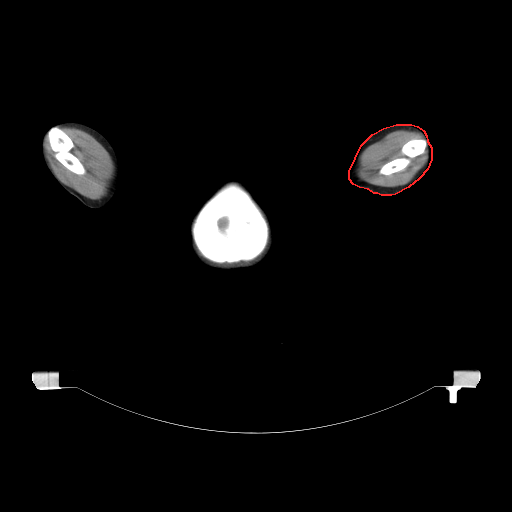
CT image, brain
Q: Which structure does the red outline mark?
A: red: left arm.
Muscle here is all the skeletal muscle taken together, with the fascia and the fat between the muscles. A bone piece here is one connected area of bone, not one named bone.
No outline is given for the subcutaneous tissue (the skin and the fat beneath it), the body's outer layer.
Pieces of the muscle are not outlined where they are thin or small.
Outlines (x, y in pixels):
left arm: 396,124 411,124 417,126 423,130 426,135 427,141 431,147 431,159 427,169 419,178 408,187 395,194 391,195 381,195 377,193 374,193 368,189 359,187 353,184 349,179 349,171 361,145 372,134 383,128
head: 227,178 239,179 247,185 255,198 267,212 274,236 273,247 267,258 261,264 248,269 230,271 229,272 217,271 202,265 194,257 189,246 189,241 190,240 189,226 192,217 202,203 212,193 218,184
bones 1: 229,182 235,182 241,185 249,192 261,208 269,225 269,240 264,251 260,255 252,260 249,261 241,260 238,262 232,262 231,263 227,262 217,263 206,259 198,252 192,239 191,224 194,217 201,206 219,188 with a hole at 223,218 225,218 226,219 226,224 225,225 225,226 223,228 221,228 220,227 220,226 219,225 219,221 221,219 222,219
bones 2: 52,126 58,126 68,135 73,142 74,146 71,149 71,152 78,158 83,165 85,169 85,172 83,174 77,174 71,171 65,167 57,159 56,159 54,156 54,152 52,150 50,146 50,144 46,137 47,131
bones 3: 423,137 427,140 428,143 425,152 412,158 410,160 410,163 405,168 402,170 396,172 393,172 390,174 382,174 379,172 380,168 385,163 393,159 398,158 402,155 401,148 407,141 414,138 422,138
right arm: 64,121 80,122 92,127 102,134 107,139 113,147 117,155 120,166 119,185 113,199 108,204 103,207 100,208 90,208 85,206 78,199 68,193 58,183 50,173 44,162 41,152 42,136 46,131 56,123
muscle 1: 60,126 74,127 85,131 93,136 110,155 113,163 113,174 107,192 101,198 91,199 82,195 63,183 52,169 46,153 46,138 53,156 65,168 77,175 83,175 86,172 82,162 72,152 75,146 74,142
muscle 2: 402,129 417,131 423,136 407,140 400,148 401,155 385,162 379,168 378,172 382,175 390,175 402,171 411,163 412,159 426,151 426,160 422,167 408,182 393,187 375,185 360,178 358,168 363,151 388,133
brain: 223,218 225,218 226,219 226,224 225,225 225,226 223,228 221,228 220,227 220,226 219,225 219,221 221,219 222,219